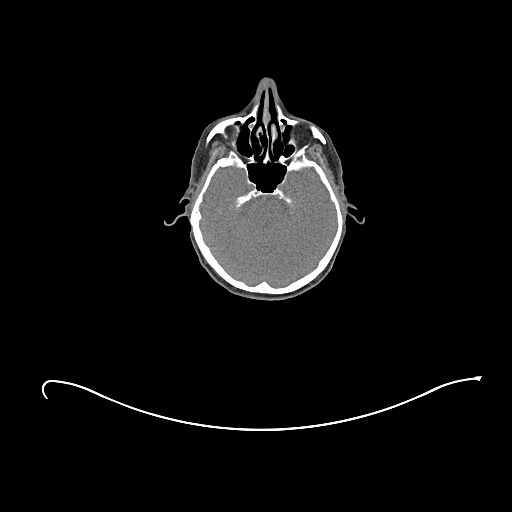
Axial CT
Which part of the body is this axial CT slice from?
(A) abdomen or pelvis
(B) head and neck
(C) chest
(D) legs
(B) head and neck
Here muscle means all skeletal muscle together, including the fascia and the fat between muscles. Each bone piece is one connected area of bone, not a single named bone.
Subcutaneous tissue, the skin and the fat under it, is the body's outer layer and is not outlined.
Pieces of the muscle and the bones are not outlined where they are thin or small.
Outlined structures:
bones 1: (264, 86) (269, 87) (273, 91) (273, 95) (273, 92) (270, 89) (269, 90) (268, 92) (270, 122) (277, 123) (275, 102) (287, 117) (299, 121) (294, 127) (293, 136) (300, 145) (308, 143) (306, 156) (315, 161) (324, 172) (338, 200) (343, 219) (340, 239) (325, 268) (308, 283) (285, 293) (252, 292) (227, 282) (202, 255) (189, 220) (193, 203) (212, 166) (229, 151) (229, 147) (220, 134) (215, 135) (206, 144) (205, 140) (209, 131) (217, 123) (227, 118) (246, 115) (258, 100), around holes outlined by (227, 167) (241, 169) (245, 183) (251, 187) (234, 199) (237, 209) (260, 196) (277, 196) (290, 205) (293, 199) (282, 187) (291, 172) (314, 170) (333, 204) (336, 228) (312, 269) (285, 285) (274, 286) (266, 280) (247, 283) (219, 262) (204, 239) (201, 204) (215, 173) and by (263, 93) (261, 125) (258, 125) (254, 131) (257, 147) (259, 150) (257, 156) (263, 154) (263, 164) (280, 164) (285, 168) (271, 189) (263, 189) (250, 177) (248, 165) (259, 161) (253, 153) (248, 156) (241, 153) (237, 144) (246, 122) (252, 118) (246, 124) (247, 142) (252, 146) (253, 130) and by (279, 137) (279, 139) (282, 144) (282, 147) (284, 149) (286, 146) (291, 146) (292, 147) (292, 151) (288, 155) (285, 155) (282, 152) (281, 152) (279, 153) (274, 159) (271, 159) (270, 157) (270, 154) (272, 154) (274, 156) (277, 154) (275, 149) (275, 144) (277, 139) and by (288, 127) (289, 127) (289, 128) (288, 129) (288, 139) (286, 141) (285, 141) (285, 140) (284, 139) (284, 134) (285, 133) (285, 132) (287, 130) (287, 128)
bones 2: (310, 124) (312, 124) (313, 125) (314, 125) (321, 132) (321, 133) (323, 135) (323, 136) (325, 138) (325, 139) (326, 140) (326, 143) (325, 144) (323, 144) (318, 139) (316, 139) (315, 138) (313, 138) (312, 137) (312, 135) (311, 134) (311, 132) (309, 129) (309, 125)
head: (265, 76) (275, 81) (290, 112) (329, 134) (341, 160) (345, 194) (356, 207) (350, 212) (360, 221) (364, 218) (359, 223) (347, 217) (341, 249) (319, 284) (295, 297) (271, 301) (233, 294) (214, 281) (192, 247) (187, 218) (180, 215) (202, 130) (212, 120) (241, 109) with holes at (263, 93) (261, 125) (258, 125) (254, 131) (257, 147) (259, 150) (257, 156) (263, 154) (263, 164) (280, 164) (285, 168) (271, 189) (263, 189) (250, 177) (248, 165) (259, 161) (253, 153) (248, 156) (241, 153) (237, 144) (246, 122) (252, 118) (246, 124) (247, 142) (252, 146) (253, 130) and at (279, 137) (279, 139) (282, 144) (282, 147) (284, 149) (286, 146) (291, 146) (292, 147) (292, 151) (288, 155) (285, 155) (282, 152) (281, 152) (279, 153) (274, 159) (271, 159) (270, 157) (270, 154) (272, 154) (274, 156) (277, 154) (275, 149) (275, 144) (277, 139) and at (270, 90) (272, 92) (272, 95) (273, 96) (273, 100) (274, 101) (274, 107) (275, 108) (275, 111) (276, 112) (276, 123) (275, 123) (274, 122) (271, 122) (271, 121) (272, 120) (272, 114) (271, 113) (271, 112) (270, 111) (270, 100) (269, 99) (269, 92) (270, 91) and at (288, 127) (289, 127) (289, 128) (288, 129) (288, 139) (286, 141) (285, 141) (285, 140) (284, 139) (284, 134) (285, 133) (285, 132) (287, 130) (287, 128)
muscle 1: (217, 135) (220, 135) (222, 137) (228, 147) (227, 154) (219, 157) (211, 166) (204, 179) (202, 186) (193, 202) (192, 201) (192, 190) (194, 188) (194, 183) (198, 179) (199, 176) (199, 166) (200, 165) (200, 158) (202, 154) (202, 148) (204, 146) (204, 143) (207, 145)
muscle 2: (312, 138) (318, 140) (323, 145) (325, 145) (327, 142) (327, 146) (329, 149) (328, 154) (329, 162) (342, 196) (343, 202) (343, 218) (343, 214) (341, 210) (339, 200) (336, 196) (325, 172) (315, 160) (309, 158) (307, 156) (307, 149) (310, 145) (309, 142)
brain: (227, 167) (241, 169) (245, 183) (251, 187) (234, 199) (237, 209) (260, 196) (277, 196) (290, 205) (293, 199) (282, 187) (291, 172) (314, 170) (333, 204) (336, 228) (312, 269) (285, 285) (274, 286) (266, 280) (247, 283) (219, 262) (204, 239) (201, 204) (215, 173)